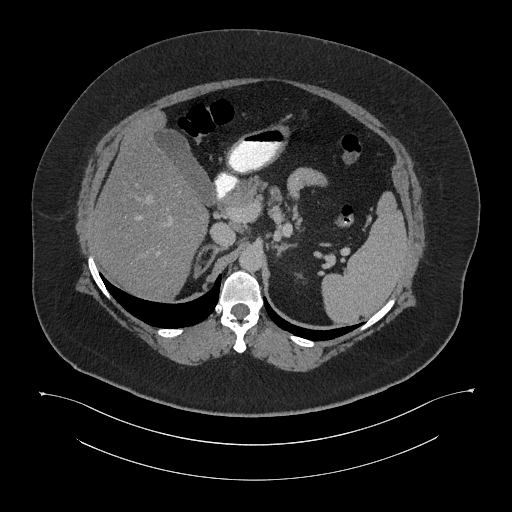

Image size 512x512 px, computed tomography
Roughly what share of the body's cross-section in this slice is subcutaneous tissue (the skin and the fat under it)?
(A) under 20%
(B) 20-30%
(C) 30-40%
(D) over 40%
(D) over 40%
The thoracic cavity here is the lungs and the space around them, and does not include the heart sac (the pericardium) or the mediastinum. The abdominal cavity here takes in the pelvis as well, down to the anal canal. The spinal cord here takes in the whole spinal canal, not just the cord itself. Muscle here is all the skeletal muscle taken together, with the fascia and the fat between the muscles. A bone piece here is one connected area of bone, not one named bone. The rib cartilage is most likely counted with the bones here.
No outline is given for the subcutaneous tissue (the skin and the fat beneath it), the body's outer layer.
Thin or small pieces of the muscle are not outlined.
Outlined structures:
mediastinum: (226, 274) (227, 274) (227, 275) (226, 276) (225, 277) (225, 278) (224, 279) (223, 280) (222, 281) (222, 282) (222, 281) (222, 280) (222, 279) (223, 278) (223, 277) (223, 276) (224, 276) (225, 275)
spinal cord: (237, 304) (244, 304) (245, 305) (246, 305) (247, 306) (247, 307) (248, 308) (248, 313) (246, 315) (245, 315) (241, 319) (238, 319) (238, 318) (234, 314) (233, 314) (231, 312) (231, 310) (232, 309) (232, 308) (233, 307) (233, 306) (234, 306) (235, 305) (236, 305)
torso: (221, 28) (301, 33) (375, 53) (425, 81) (458, 121) (479, 187) (479, 232) (465, 274) (455, 331) (427, 365) (404, 381) (318, 411) (265, 417) (212, 415) (157, 403) (83, 373) (65, 361) (46, 338) (32, 297) (31, 192) (49, 139) (81, 92) (122, 57) (165, 38)
muscle: (268, 76) (317, 85) (351, 99) (383, 123) (406, 148) (414, 163) (422, 190) (421, 200) (426, 243) (412, 280) (416, 305) (405, 308) (381, 329) (307, 371) (281, 370) (243, 353) (247, 348) (245, 334) (258, 323) (263, 307) (275, 324) (289, 332) (288, 337) (292, 342) (307, 348) (313, 347) (315, 341) (333, 339) (354, 330) (354, 333) (364, 331) (381, 320) (393, 307) (396, 299) (392, 295) (406, 272) (411, 252) (412, 227) (401, 182) (398, 152) (375, 131) (329, 99) (282, 81) (264, 80) (217, 89) (154, 109) (138, 117) (126, 129) (122, 130) (112, 143) (97, 173) (91, 201) (89, 227) (91, 254) (87, 256) (86, 262) (94, 283) (108, 300) (114, 302) (115, 300) (133, 316) (157, 328) (155, 332) (164, 338) (174, 338) (182, 334) (185, 330) (184, 327) (203, 321) (213, 312) (219, 314) (220, 324) (234, 333) (235, 340) (232, 348) (237, 353) (235, 355) (224, 355) (198, 365) (180, 364) (162, 355) (143, 339) (122, 326) (91, 295) (82, 293) (74, 287) (82, 270) (83, 261) (75, 224) (77, 200) (87, 161) (98, 141) (114, 125) (134, 111) (167, 94) (212, 81)
thoracic cavity 1: (101, 274) (110, 284) (123, 292) (142, 300) (161, 304) (181, 304) (195, 300) (205, 294) (214, 285) (216, 279) (220, 275) (221, 284) (219, 289) (218, 299) (213, 308) (213, 311) (203, 320) (183, 327) (175, 328) (156, 327) (136, 317) (123, 307) (107, 289) (101, 277)
thoracic cavity 2: (263, 296) (267, 300) (271, 308) (280, 317) (291, 324) (299, 326) (302, 328) (307, 328) (312, 330) (331, 330) (336, 328) (351, 326) (360, 323) (362, 323) (362, 324) (351, 331) (329, 339) (313, 340) (309, 338) (302, 337) (293, 334) (280, 327) (271, 319) (264, 307)
bones 1: (237, 270) (245, 271) (255, 277) (260, 285) (263, 300) (263, 306) (259, 311) (257, 323) (248, 329) (244, 334) (243, 339) (246, 348) (242, 353) (238, 353) (233, 348) (236, 340) (235, 333) (228, 327) (221, 324) (220, 314) (214, 311) (219, 299) (223, 281) (228, 275); inner edge: (237, 304) (244, 304) (245, 305) (246, 305) (247, 306) (247, 307) (248, 308) (248, 313) (246, 315) (245, 315) (241, 319) (238, 319) (238, 318) (234, 314) (233, 314) (231, 312) (231, 310) (232, 309) (232, 308) (233, 307) (233, 306) (234, 306) (235, 305) (236, 305)
bones 2: (391, 297) (393, 297) (395, 299) (395, 301) (392, 307) (381, 319) (380, 319) (374, 324) (371, 325) (364, 330) (362, 330) (361, 331) (356, 331) (354, 332) (357, 328) (358, 328) (361, 325) (362, 325) (370, 317) (371, 317) (376, 312) (377, 312) (378, 310) (379, 310)
bones 3: (89, 255) (91, 255) (92, 256) (95, 262) (95, 264) (97, 267) (97, 269) (99, 272) (100, 277) (106, 289) (112, 296) (114, 301) (112, 299) (108, 299) (102, 293) (102, 292) (95, 283) (92, 277) (92, 275) (90, 272) (90, 270) (88, 267) (87, 258)
bones 4: (158, 328) (171, 328) (172, 329) (175, 329) (176, 328) (183, 328) (183, 329) (184, 330) (182, 333) (181, 333) (180, 334) (179, 334) (178, 335) (177, 335) (174, 337) (164, 337) (163, 336) (161, 336) (160, 335) (159, 335) (156, 332) (156, 331)
bones 5: (290, 333) (293, 335) (295, 335) (296, 336) (298, 336) (302, 338) (305, 338) (306, 339) (309, 339) (310, 340) (312, 340) (314, 341) (315, 343) (314, 345) (311, 347) (307, 347) (306, 346) (301, 346) (295, 343) (290, 339) (289, 337) (289, 335)
abdominal cavity: (264, 81) (289, 84) (329, 100) (397, 152) (410, 218) (410, 252) (391, 296) (363, 323) (331, 329) (291, 323) (272, 308) (256, 277) (242, 269) (222, 278) (218, 275) (195, 299) (149, 301) (110, 283) (100, 274) (92, 255) (90, 227) (98, 173) (122, 131) (154, 110)